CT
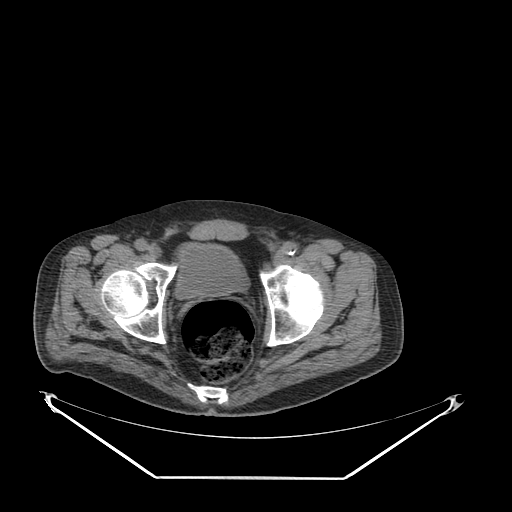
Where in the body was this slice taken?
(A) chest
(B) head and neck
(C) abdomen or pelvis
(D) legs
Answer: (C) abdomen or pelvis
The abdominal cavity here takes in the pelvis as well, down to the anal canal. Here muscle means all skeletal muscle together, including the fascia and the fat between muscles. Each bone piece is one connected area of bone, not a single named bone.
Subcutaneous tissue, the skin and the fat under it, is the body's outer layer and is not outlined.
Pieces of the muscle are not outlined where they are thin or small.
{"muscle":[{"outer":[[214,218],[262,226],[285,238],[337,238],[363,248],[375,262],[378,280],[382,338],[374,356],[243,405],[225,408],[214,404],[200,408],[184,403],[132,374],[88,361],[56,361],[48,355],[45,332],[61,258],[80,237],[120,233],[153,238],[175,222]],"hole":[[178,234],[255,235],[270,253],[262,270],[287,264],[323,292],[310,332],[269,347],[262,287],[259,349],[246,373],[224,386],[228,399],[220,404],[199,400],[172,352],[170,281],[161,311],[165,344],[125,331],[100,298],[112,272],[168,264],[165,246]]}],"torso":[[[186,199],[226,199],[264,205],[310,218],[376,249],[390,264],[401,298],[404,343],[399,358],[385,369],[317,400],[274,413],[238,417],[173,412],[136,400],[89,378],[69,372],[48,371],[38,359],[33,338],[36,277],[47,252],[57,242],[76,232]]],"bones":[[[144,262],[175,264],[177,266],[175,273],[165,290],[161,311],[161,324],[163,333],[166,339],[165,344],[159,344],[151,341],[146,341],[131,335],[119,326],[114,320],[112,315],[105,309],[101,302],[100,289],[104,280],[109,274],[118,269],[131,269]],[[279,264],[287,264],[304,273],[309,273],[319,282],[324,298],[323,312],[319,319],[314,324],[310,332],[300,339],[291,343],[280,344],[269,347],[266,346],[266,342],[268,340],[270,331],[271,315],[268,308],[265,290],[259,277],[259,271],[270,270]],[[187,382],[191,382],[193,384],[196,385],[207,385],[208,386],[215,386],[216,387],[225,387],[227,390],[228,399],[226,402],[220,404],[217,403],[217,399],[216,398],[208,398],[206,402],[202,402],[199,400],[196,393],[192,389],[187,386],[186,384]]],"abdominal_cavity":[[[178,234],[186,234],[194,239],[222,240],[241,240],[255,235],[270,253],[270,259],[265,261],[258,271],[265,311],[260,346],[250,368],[229,385],[193,383],[179,368],[170,347],[167,302],[171,281],[178,266],[175,263],[169,263],[165,246],[171,237]]]}